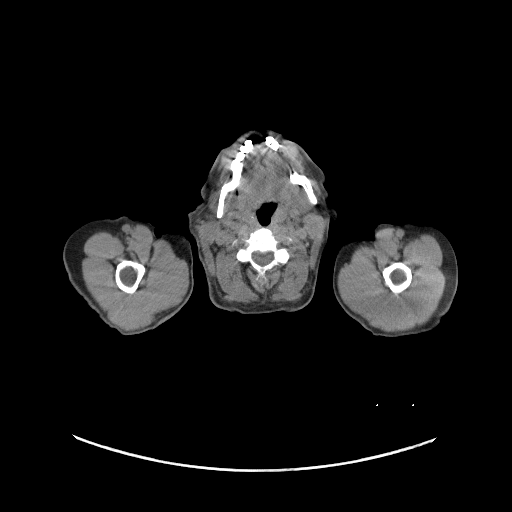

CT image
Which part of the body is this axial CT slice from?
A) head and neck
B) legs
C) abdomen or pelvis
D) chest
A) head and neck
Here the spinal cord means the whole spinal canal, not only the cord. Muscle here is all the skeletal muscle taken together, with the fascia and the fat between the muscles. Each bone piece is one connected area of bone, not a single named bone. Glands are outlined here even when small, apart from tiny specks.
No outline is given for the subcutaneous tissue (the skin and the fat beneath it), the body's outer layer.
{"left_arm":[[[384,222],[431,225],[439,229],[447,237],[453,247],[458,267],[456,293],[449,310],[440,323],[432,330],[394,338],[374,335],[350,317],[335,298],[332,289],[332,272],[335,257],[340,246],[346,241],[356,238],[371,239],[374,236],[374,228],[376,225]]],"spinal_cord":[[[256,251],[258,251],[261,253],[265,253],[266,252],[272,252],[272,253],[273,254],[273,257],[272,258],[272,259],[268,263],[267,263],[266,264],[264,264],[263,265],[261,265],[260,264],[257,263],[253,259],[253,258],[252,257],[252,254]]],"parotid_glands":[[[205,210],[207,210],[214,217],[214,219],[213,220],[212,220],[211,221],[208,221],[207,222],[205,222],[203,224],[202,224],[199,227],[199,229],[198,230],[197,230],[195,228],[195,226],[194,225],[194,220],[196,218],[196,217],[202,211],[204,211]],[[314,207],[315,207],[316,208],[317,208],[318,208],[319,209],[319,210],[319,211],[319,212],[319,213],[318,214],[317,214],[316,214],[315,214],[314,213],[314,212],[313,211],[313,210],[313,209],[313,208]]],"head_and_neck":[{"outer":[[250,128],[271,128],[299,144],[323,171],[324,185],[328,193],[327,202],[337,214],[336,220],[329,225],[313,296],[304,307],[293,312],[244,314],[215,306],[209,298],[196,243],[188,229],[187,214],[201,201],[200,189],[217,154],[239,134]],"holes":[[[269,203],[273,203],[275,204],[275,208],[273,212],[271,214],[271,216],[270,217],[269,222],[265,225],[262,225],[262,224],[260,223],[260,222],[258,220],[258,217],[257,216],[257,211],[259,210],[260,208],[264,204],[268,204]],[[253,136],[257,136],[258,137],[261,137],[262,138],[263,138],[264,139],[264,140],[263,141],[260,141],[259,142],[258,142],[257,143],[253,143],[252,142],[252,141],[250,139],[250,138],[251,137],[252,137]]]}],"muscle":[{"outer":[[258,134],[271,134],[296,147],[306,165],[317,180],[321,191],[321,197],[323,200],[324,216],[326,220],[323,239],[318,251],[314,268],[311,272],[309,283],[302,296],[296,301],[292,302],[241,303],[229,302],[222,299],[218,294],[213,278],[207,268],[198,232],[202,225],[211,222],[215,219],[215,217],[207,209],[204,210],[204,208],[208,201],[210,191],[220,173],[219,165],[222,155],[228,148],[242,137],[246,135]],"holes":[[[269,203],[275,204],[275,208],[269,222],[264,226],[277,239],[288,236],[292,241],[285,245],[289,253],[287,261],[268,270],[266,281],[262,284],[256,279],[255,269],[248,262],[237,259],[239,245],[232,243],[236,238],[247,237],[262,225],[257,211]],[[268,135],[276,139],[280,147],[275,150],[263,141],[252,144],[251,151],[242,162],[243,166],[239,184],[226,195],[223,203],[223,214],[218,218],[216,211],[220,189],[232,175],[232,172],[228,168],[230,161],[234,158],[245,140],[253,136],[264,139]],[[292,170],[296,170],[300,174],[303,174],[310,179],[311,181],[311,186],[312,187],[312,189],[317,199],[317,203],[316,204],[313,205],[310,203],[308,199],[308,197],[304,189],[299,184],[294,184],[290,181],[289,179],[289,172]]]},{"outer":[[386,227],[401,228],[413,234],[428,233],[434,236],[441,247],[443,254],[442,269],[447,275],[444,293],[431,319],[421,326],[397,332],[384,331],[375,327],[364,317],[353,311],[341,298],[337,284],[339,270],[350,258],[355,248],[372,241],[377,232]],"hole":[[397,261],[402,261],[404,262],[411,269],[411,273],[412,274],[412,276],[411,277],[411,282],[408,287],[407,287],[404,290],[403,290],[398,294],[394,294],[385,284],[384,282],[384,279],[382,275],[382,270],[386,266],[387,266],[392,262],[396,262]]},{"outer":[[126,223],[144,225],[157,238],[167,240],[172,245],[175,253],[186,261],[189,279],[187,291],[177,305],[159,313],[149,324],[132,330],[123,330],[109,320],[106,312],[87,290],[81,273],[81,261],[84,256],[83,244],[86,239],[98,231],[114,232]],"hole":[[122,259],[130,259],[134,261],[137,261],[141,263],[145,267],[145,272],[139,282],[138,287],[136,289],[136,290],[133,293],[131,294],[129,293],[127,293],[123,291],[121,289],[120,289],[116,284],[116,282],[115,281],[115,269],[116,268],[116,265]]}],"bones":[{"outer":[[261,226],[271,230],[277,239],[286,236],[292,239],[291,242],[285,245],[289,258],[285,263],[279,263],[268,270],[266,272],[266,281],[262,284],[256,279],[257,272],[255,269],[248,262],[237,259],[236,253],[239,245],[232,244],[236,238],[247,237]],"hole":[[256,251],[258,251],[261,253],[265,253],[266,252],[272,252],[272,253],[273,254],[273,257],[272,258],[272,259],[268,263],[267,263],[266,264],[264,264],[263,265],[261,265],[260,264],[257,263],[253,259],[253,258],[252,257],[252,254]]},[[247,139],[251,141],[253,147],[243,159],[239,184],[235,189],[230,191],[226,195],[223,203],[223,214],[220,218],[218,218],[216,216],[216,211],[220,189],[222,185],[231,178],[232,175],[232,172],[228,168],[230,164],[229,163],[234,158],[240,146]],[[122,259],[130,259],[134,261],[137,261],[141,263],[145,267],[145,272],[139,282],[138,287],[136,289],[136,290],[133,293],[131,294],[129,293],[127,293],[123,291],[121,289],[120,289],[116,284],[116,282],[115,281],[115,269],[116,268],[116,265]],[[397,261],[402,261],[404,262],[411,269],[411,273],[412,274],[412,276],[411,277],[411,282],[408,287],[407,287],[404,290],[403,290],[398,294],[394,294],[385,284],[384,282],[384,279],[382,275],[382,270],[386,266],[387,266],[392,262],[396,262]],[[292,170],[296,170],[300,174],[303,174],[310,179],[311,181],[311,186],[312,187],[312,189],[317,199],[317,203],[316,204],[313,205],[310,203],[308,199],[308,197],[304,189],[299,184],[294,184],[290,181],[289,179],[289,172]],[[268,135],[270,135],[271,136],[272,136],[275,139],[276,139],[276,140],[279,143],[279,144],[280,145],[280,147],[278,149],[275,150],[274,149],[271,148],[269,146],[266,145],[264,143],[264,141],[265,140],[265,137]]],"right_arm":[[[123,215],[136,220],[151,223],[155,227],[154,232],[157,236],[164,232],[182,233],[190,242],[193,257],[193,290],[187,302],[177,313],[157,327],[134,335],[121,335],[106,325],[99,318],[70,284],[62,259],[65,241],[78,227],[94,219],[116,218]]]}